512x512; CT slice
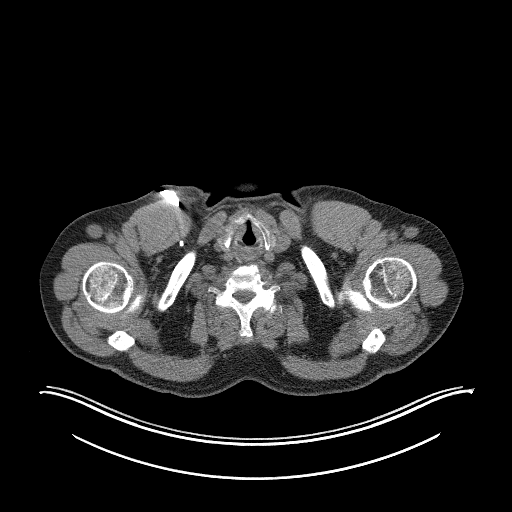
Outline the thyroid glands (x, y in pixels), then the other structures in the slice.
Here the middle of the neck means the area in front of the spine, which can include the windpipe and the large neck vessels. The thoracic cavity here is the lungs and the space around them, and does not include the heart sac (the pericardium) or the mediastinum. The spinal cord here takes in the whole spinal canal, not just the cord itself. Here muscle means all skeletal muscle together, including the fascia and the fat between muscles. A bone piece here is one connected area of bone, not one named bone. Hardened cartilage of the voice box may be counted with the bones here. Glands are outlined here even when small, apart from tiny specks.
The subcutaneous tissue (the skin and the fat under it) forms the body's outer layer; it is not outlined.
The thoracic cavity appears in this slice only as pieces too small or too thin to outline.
Outlines:
thyroid glands 1: 271 231; 274 231; 275 232; 275 234; 276 235; 276 236; 277 237; 277 240; 276 241; 276 244; 275 245; 275 246; 273 248; 272 248; 272 245; 271 244; 271 242; 270 241; 270 237; 271 236
thyroid glands 2: 220 236; 222 236; 222 238; 223 239; 222 240; 222 248; 218 244; 218 242; 217 241; 217 240; 218 239; 218 238
bones 1: 302 244; 309 246; 322 261; 334 294; 341 288; 346 275; 349 286; 362 291; 367 268; 377 258; 385 256; 397 256; 408 261; 416 275; 416 287; 405 302; 390 309; 373 305; 372 312; 362 311; 346 300; 330 308; 321 300; 300 254
bones 2: 251 263; 258 266; 263 279; 270 275; 271 281; 280 286; 274 299; 281 306; 281 311; 270 313; 262 307; 257 308; 250 318; 253 334; 247 337; 239 335; 237 313; 231 307; 217 305; 215 294; 207 289; 209 286; 222 288; 233 270, around a hole outlined by 239 290; 248 290; 249 291; 251 291; 252 292; 253 292; 254 293; 254 296; 250 300; 249 300; 247 302; 246 302; 245 303; 243 303; 242 302; 240 302; 236 298; 235 298; 233 296; 233 294; 235 292; 236 292; 237 291; 238 291
bones 3: 98 261; 116 262; 123 266; 128 273; 131 275; 134 281; 132 296; 133 297; 136 294; 144 294; 145 295; 143 302; 136 310; 128 313; 126 313; 124 309; 115 313; 105 313; 95 309; 88 303; 81 288; 82 278; 86 270; 92 264
bones 4: 192 249; 195 250; 197 254; 196 255; 196 259; 195 260; 194 265; 192 267; 190 272; 185 279; 182 286; 178 291; 173 303; 164 311; 159 311; 156 308; 157 300; 160 294; 166 286; 167 282; 172 272; 172 270; 183 255; 186 252
bones 5: 246 213; 250 213; 269 229; 269 241; 271 245; 271 248; 269 250; 265 249; 265 242; 262 231; 253 223; 250 218; 247 218; 241 223; 234 223; 232 225; 233 233; 229 247; 228 249; 223 249; 223 240; 226 236; 226 229; 234 219
bones 6: 116 330; 124 330; 126 332; 127 332; 130 335; 131 335; 134 338; 134 340; 135 341; 134 344; 132 346; 131 346; 126 351; 119 351; 118 350; 117 350; 115 348; 114 348; 112 346; 111 346; 107 342; 107 337; 110 334; 111 334
bones 7: 374 327; 377 327; 379 328; 384 333; 385 335; 385 341; 381 345; 379 349; 375 353; 373 354; 371 354; 367 352; 362 348; 362 342; 363 340; 367 336; 369 332
torso: 162 184; 211 192; 185 296; 195 351; 254 369; 310 344; 307 218; 290 190; 328 184; 415 214; 372 234; 352 278; 385 332; 420 356; 348 392; 289 395; 243 380; 195 398; 145 388; 82 360; 119 332; 140 293; 135 257; 108 205
muscle: 184 195; 195 199; 203 215; 242 203; 279 203; 307 214; 314 201; 333 199; 363 207; 385 228; 416 226; 420 231; 412 239; 438 255; 448 295; 433 309; 425 338; 403 354; 376 353; 386 335; 374 326; 361 342; 370 354; 365 366; 346 378; 299 378; 260 345; 228 349; 205 375; 188 382; 146 373; 125 352; 91 354; 61 324; 52 280; 62 256; 89 239; 88 224; 118 228; 138 207; inner edges: 246 213; 285 244; 271 261; 245 263; 256 264; 263 279; 270 275; 280 286; 274 299; 281 311; 257 308; 250 318; 251 337; 239 335; 237 313; 217 305; 215 294; 207 290; 222 288; 231 272; 243 264; 226 261; 216 245; 231 222, then 302 244; 309 246; 322 261; 334 294; 341 288; 346 275; 349 286; 362 291; 367 268; 377 258; 385 256; 397 256; 408 261; 416 275; 416 287; 405 302; 390 309; 373 305; 372 312; 362 311; 346 300; 330 308; 321 300; 300 254, then 98 261; 116 262; 123 266; 128 273; 131 275; 134 281; 132 296; 133 297; 136 294; 144 294; 145 295; 143 302; 136 310; 128 313; 126 313; 124 309; 115 313; 105 313; 95 309; 88 303; 81 288; 82 278; 86 270; 92 264, then 192 249; 195 250; 197 254; 196 255; 196 259; 195 260; 194 265; 192 267; 190 272; 185 279; 182 286; 178 291; 173 303; 164 311; 159 311; 156 308; 157 300; 160 294; 166 286; 167 282; 172 272; 172 270; 183 255; 186 252, then 116 330; 124 330; 126 332; 127 332; 130 335; 131 335; 134 338; 134 340; 135 341; 134 344; 132 346; 131 346; 126 351; 119 351; 118 350; 117 350; 115 348; 114 348; 112 346; 111 346; 107 342; 107 337; 110 334; 111 334
right arm: 105 206; 108 206; 112 213; 134 257; 138 292; 139 293; 137 296; 137 300; 135 304; 118 332; 83 358; 80 359; 75 357; 64 347; 55 336; 48 324; 43 310; 40 297; 39 273; 42 263; 46 255; 60 232; 71 221; 80 215
spinal cord: 239 290; 248 290; 249 291; 251 291; 252 292; 253 292; 254 293; 254 296; 250 300; 249 300; 247 302; 246 302; 245 303; 243 303; 242 302; 240 302; 236 298; 235 298; 233 296; 233 294; 235 292; 236 292; 237 291; 238 291
middle of the neck: 247 219; 250 219; 261 231; 264 242; 263 246; 266 251; 273 249; 278 240; 284 242; 285 247; 282 251; 277 253; 271 261; 265 261; 263 259; 245 263; 226 261; 216 249; 217 244; 224 251; 228 250; 234 233; 233 225; 241 224
left arm: 416 215; 421 216; 429 220; 435 224; 444 233; 455 253; 463 277; 463 294; 454 317; 440 338; 429 349; 421 355; 392 338; 386 332; 385 329; 381 324; 353 278; 353 271; 355 269; 358 262; 370 242; 373 234; 409 218; 411 218
head and neck 1: 268 193; 282 194; 286 200; 294 204; 295 203; 303 212; 306 218; 307 313; 309 317; 309 344; 254 368; 248 368; 205 356; 193 348; 186 327; 186 296; 190 276; 209 205; 212 205; 229 195; 235 197; 245 197; 253 195; 264 195
head and neck 2: 246 180; 248 180; 249 181; 253 181; 254 182; 257 182; 258 183; 261 184; 262 185; 262 187; 261 188; 260 188; 255 191; 252 191; 251 192; 237 192; 232 189; 232 186; 235 183; 236 183; 237 182; 239 182; 240 181; 245 181